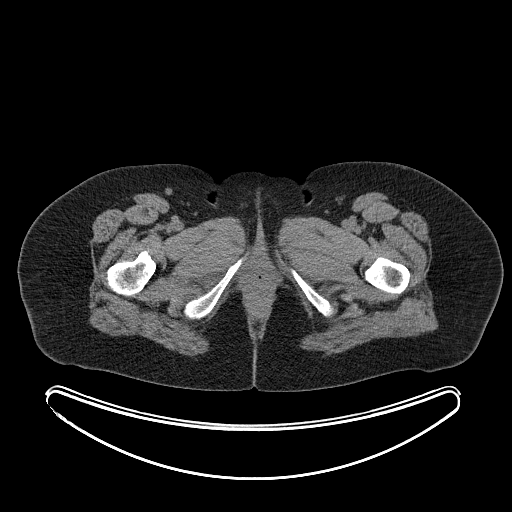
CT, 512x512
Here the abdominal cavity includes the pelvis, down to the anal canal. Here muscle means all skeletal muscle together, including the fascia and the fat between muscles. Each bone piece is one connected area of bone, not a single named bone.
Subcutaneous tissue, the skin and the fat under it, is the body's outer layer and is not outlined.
The abdominal cavity is outlined by 260 262; 264 263; 269 269; 271 270; 273 273; 273 275; 275 276; 276 286; 273 290; 272 297; 263 321; 259 328; 256 328; 252 320; 252 316; 249 306; 245 300; 244 294; 242 291; 242 281; 244 276; 246 274; 246 272; 255 264. The torso is outlined by 360 160; 394 162; 427 173; 466 200; 492 230; 503 282; 481 339; 464 362; 310 391; 204 391; 61 364; 36 345; 19 292; 21 244; 37 215; 88 177; 125 165; 181 163; 205 170; 218 182; 245 170; 301 182; 317 167. The muscle is outlined by 371 191; 417 204; 430 221; 432 258; 426 280; 438 321; 434 331; 377 338; 323 357; 298 346; 299 339; 312 330; 312 322; 288 287; 279 288; 263 337; 254 341; 239 293; 232 292; 203 332; 211 349; 194 356; 137 335; 111 336; 88 323; 91 226; 98 214; 122 197; 156 193; 172 205; 187 227; 211 218; 237 218; 250 244; 261 238; 270 247; 275 228; 285 216; 333 220; 357 196, around holes outlined by 143 250; 146 250; 156 263; 156 270; 147 283; 138 293; 136 293; 133 295; 130 295; 129 296; 125 296; 121 294; 118 294; 112 291; 108 287; 106 283; 107 282; 106 281; 106 270; 108 267; 112 265; 115 262; 120 260; 132 260 and by 260 262; 264 263; 269 269; 271 270; 273 273; 273 275; 275 276; 276 286; 273 290; 272 297; 263 321; 259 328; 256 328; 252 320; 252 316; 249 306; 245 300; 244 294; 242 291; 242 281; 244 276; 246 274; 246 272; 255 264 and by 380 256; 381 257; 388 258; 396 262; 399 262; 406 266; 409 270; 410 272; 410 279; 409 280; 408 285; 403 292; 400 294; 393 294; 392 293; 385 292; 377 288; 365 280; 364 278; 364 271; 365 269; 368 267; 376 259; 376 258 and by 241 257; 244 257; 242 261; 242 263; 224 288; 223 291; 221 293; 219 298; 212 309; 204 317; 202 317; 200 319; 191 319; 187 317; 183 312; 183 309; 185 304; 188 301; 206 293; 220 280; 220 279; 225 274; 229 266; 233 264 and by 291 268; 293 268; 301 276; 301 277; 320 295; 329 301; 334 310; 333 313; 330 316; 328 316; 327 317; 326 316; 324 316; 321 313; 320 313; 309 301; 309 300; 306 297; 304 292; 301 289; 295 280; 294 277; 290 272; 289 269. The bones appear in 4 outlined pieces: piece 1: 143 250; 146 250; 156 263; 156 270; 147 283; 138 293; 136 293; 133 295; 130 295; 129 296; 125 296; 121 294; 118 294; 112 291; 108 287; 106 283; 107 282; 106 281; 106 270; 108 267; 112 265; 115 262; 120 260; 132 260; piece 2: 380 256; 381 257; 388 258; 396 262; 399 262; 406 266; 409 270; 410 272; 410 279; 409 280; 408 285; 403 292; 400 294; 393 294; 392 293; 385 292; 377 288; 365 280; 364 278; 364 271; 365 269; 368 267; 376 259; 376 258; piece 3: 241 257; 244 257; 242 261; 242 263; 224 288; 223 291; 221 293; 219 298; 212 309; 204 317; 202 317; 200 319; 191 319; 187 317; 183 312; 183 309; 185 304; 188 301; 206 293; 220 280; 220 279; 225 274; 229 266; 233 264; piece 4: 291 268; 293 268; 301 276; 301 277; 320 295; 329 301; 334 310; 333 313; 330 316; 328 316; 327 317; 326 316; 324 316; 321 313; 320 313; 309 301; 309 300; 306 297; 304 292; 301 289; 295 280; 294 277; 290 272; 289 269.